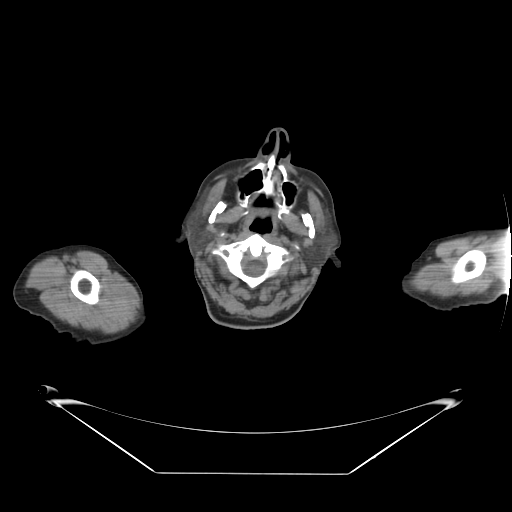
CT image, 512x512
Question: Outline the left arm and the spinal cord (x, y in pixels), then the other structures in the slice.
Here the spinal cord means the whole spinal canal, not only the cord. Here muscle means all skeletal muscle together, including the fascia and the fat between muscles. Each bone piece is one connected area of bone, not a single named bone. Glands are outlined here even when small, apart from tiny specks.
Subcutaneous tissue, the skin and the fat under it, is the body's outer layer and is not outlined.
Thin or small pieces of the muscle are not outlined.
Answer: The left arm is outlined by [[508,225],[511,233],[511,273],[509,296],[501,295],[490,304],[463,306],[451,311],[440,311],[428,307],[419,301],[410,299],[402,293],[400,289],[400,280],[403,274],[409,269],[412,261],[420,254],[431,240],[456,232],[462,232],[475,228],[504,227]]. The spinal cord is outlined by [[246,254],[249,254],[253,259],[256,259],[261,256],[264,256],[264,258],[266,262],[266,266],[263,272],[261,274],[257,276],[252,276],[251,275],[248,275],[246,274],[243,271],[242,269],[242,266],[241,265],[241,262],[244,256]]. The muscle appears in 3 outlined pieces: piece 1: [[262,156],[268,156],[266,160],[252,165],[239,181],[236,199],[240,207],[247,209],[252,197],[257,207],[275,207],[280,220],[283,214],[290,214],[296,187],[284,164],[279,162],[285,160],[321,189],[327,202],[329,219],[321,223],[315,239],[304,253],[305,259],[315,265],[316,271],[309,289],[297,304],[278,318],[260,322],[235,320],[221,313],[197,273],[196,250],[211,238],[204,212],[198,203],[206,184],[214,176]]; inner edges: [[257,219],[269,219],[271,229],[267,232],[261,233],[261,236],[272,244],[286,248],[292,259],[286,261],[273,276],[251,288],[231,273],[226,262],[219,255],[212,254],[211,251],[218,244],[229,244],[242,240],[254,233],[255,232],[250,228],[250,226]], then [[305,212],[308,212],[311,215],[312,217],[312,219],[313,220],[313,223],[314,224],[314,228],[315,229],[315,235],[313,238],[310,238],[309,237],[308,235],[308,228],[304,224],[302,220],[302,218],[301,217],[301,214]], then [[220,200],[222,200],[226,204],[226,207],[222,212],[221,212],[220,213],[218,213],[216,215],[214,222],[213,222],[212,223],[209,223],[208,222],[208,216],[210,214],[212,209],[215,206],[215,205],[217,203],[217,202]]; piece 2: [[78,250],[90,250],[103,256],[107,260],[109,266],[125,277],[136,289],[141,303],[139,317],[126,329],[116,333],[104,334],[99,331],[88,331],[81,328],[73,327],[56,318],[42,304],[25,291],[24,282],[28,271],[36,261],[47,255]]; inner edge: [[77,269],[84,269],[90,272],[94,276],[95,276],[98,280],[100,284],[100,290],[98,294],[98,301],[97,303],[95,304],[88,304],[80,300],[77,297],[76,297],[71,291],[70,289],[70,279],[73,273],[75,271],[75,270]]; piece 3: [[495,232],[511,234],[510,281],[481,294],[456,297],[449,299],[439,298],[436,296],[432,296],[427,293],[419,293],[414,291],[410,291],[406,287],[405,284],[406,280],[428,257],[432,249],[439,243],[443,241],[460,237],[465,237],[469,235],[487,234]], around a hole outlined by [[474,248],[478,248],[482,250],[484,252],[486,256],[486,264],[485,265],[485,268],[483,270],[481,274],[476,277],[471,278],[466,281],[464,281],[460,283],[453,283],[451,281],[451,275],[452,274],[452,268],[454,264],[459,257],[460,257],[467,251]]. The parotid glands appear in 2 outlined pieces: piece 1: [[326,220],[329,220],[336,234],[337,241],[335,245],[332,248],[331,251],[330,251],[329,253],[326,254],[318,264],[312,264],[311,263],[309,263],[305,257],[305,253],[307,249],[316,239],[318,235],[318,231],[320,228],[320,226],[322,223]]; piece 2: [[197,206],[199,206],[201,208],[201,210],[203,212],[203,215],[204,216],[204,225],[205,226],[206,231],[210,234],[210,238],[203,246],[201,246],[197,249],[194,249],[192,247],[190,243],[190,241],[187,234],[187,221],[188,220],[188,218]]. The bones appear in 6 outlined pieces: piece 1: [[255,232],[260,234],[261,236],[268,242],[286,248],[289,251],[292,259],[286,261],[273,276],[267,278],[257,286],[251,288],[245,282],[231,273],[228,269],[226,262],[219,255],[212,254],[211,251],[212,249],[218,244],[229,244],[235,241],[242,240]] with a hole at [[246,254],[249,254],[253,259],[256,259],[261,256],[264,256],[264,258],[266,262],[266,266],[263,272],[261,274],[257,276],[252,276],[251,275],[248,275],[246,274],[243,271],[242,269],[242,266],[241,265],[241,262],[244,256]]; piece 2: [[272,153],[283,164],[291,181],[282,188],[286,203],[293,199],[293,205],[289,214],[283,213],[280,219],[277,208],[263,194],[255,200],[252,196],[247,208],[240,206],[237,199],[239,189],[242,194],[248,194],[262,186],[260,170],[249,170]]; piece 3: [[474,248],[478,248],[482,250],[484,252],[486,256],[486,264],[485,265],[485,268],[483,270],[481,274],[476,277],[471,278],[466,281],[464,281],[460,283],[453,283],[451,281],[451,275],[452,274],[452,268],[454,264],[459,257],[460,257],[467,251]]; piece 4: [[77,269],[84,269],[90,272],[94,276],[95,276],[98,280],[100,284],[100,290],[98,294],[98,301],[97,303],[95,304],[88,304],[80,300],[77,297],[76,297],[71,291],[70,289],[70,279],[73,273],[75,271],[75,270]]; piece 5: [[305,212],[308,212],[311,215],[312,217],[312,219],[313,220],[313,223],[314,224],[314,228],[315,229],[315,235],[313,238],[310,238],[309,237],[308,235],[308,228],[304,224],[302,220],[302,218],[301,217],[301,214]]; piece 6: [[220,200],[222,200],[226,204],[226,207],[222,212],[221,212],[220,213],[218,213],[216,215],[214,222],[213,222],[212,223],[209,223],[208,222],[208,216],[210,214],[212,209],[215,206],[215,205],[217,203],[217,202]]. The head and neck is outlined by [[276,126],[285,128],[288,133],[291,162],[317,173],[330,190],[341,234],[341,244],[336,250],[341,267],[337,269],[327,260],[301,309],[280,325],[250,330],[221,326],[206,311],[187,242],[175,243],[174,238],[204,177],[227,160],[253,157],[267,132]], around holes outlined by [[255,170],[259,170],[259,171],[260,172],[260,181],[261,182],[261,186],[259,188],[258,188],[257,189],[255,189],[248,193],[242,193],[242,191],[240,189],[240,185],[239,184],[240,183],[240,181],[250,172],[251,172],[252,171],[254,171]] and by [[257,219],[259,220],[264,220],[265,219],[269,219],[269,221],[271,224],[271,229],[269,231],[267,232],[264,232],[263,233],[259,233],[258,232],[256,232],[252,230],[250,228],[250,226],[251,224],[255,220]] and by [[286,183],[291,183],[292,184],[293,184],[293,185],[295,187],[295,193],[294,194],[294,195],[293,196],[293,198],[290,203],[287,203],[287,198],[286,197],[286,195],[284,192],[284,189],[283,188],[283,186],[284,185],[284,184],[285,184]] and by [[261,195],[263,195],[265,198],[266,198],[268,200],[270,200],[270,201],[271,202],[271,206],[270,205],[269,206],[268,205],[267,206],[266,205],[263,205],[262,206],[257,206],[255,204],[255,201],[258,198],[258,197]] and by [[281,133],[282,133],[284,135],[284,138],[285,139],[285,146],[284,147],[284,149],[286,151],[286,152],[285,153],[285,154],[284,155],[282,155],[281,156],[278,156],[278,155],[279,154],[279,152],[280,151],[280,135],[281,134]] and by [[273,133],[274,134],[274,143],[273,144],[273,146],[272,147],[272,148],[268,152],[265,152],[264,151],[264,148],[269,143],[269,140],[270,139],[270,137],[271,136],[271,134],[272,134]]. The right arm is outlined by [[72,243],[86,243],[104,249],[137,281],[143,293],[147,316],[145,323],[136,331],[122,339],[103,344],[92,345],[86,341],[76,342],[72,340],[68,333],[58,333],[47,321],[39,316],[30,314],[16,305],[12,296],[12,288],[28,260],[42,250]].